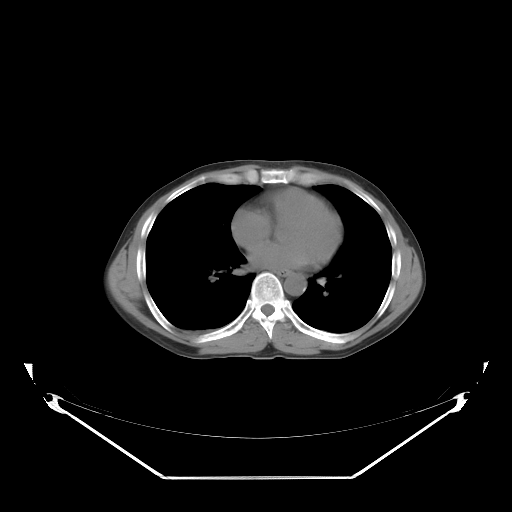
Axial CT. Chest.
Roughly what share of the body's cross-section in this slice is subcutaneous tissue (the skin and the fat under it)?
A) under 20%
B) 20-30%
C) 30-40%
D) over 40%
A) under 20%
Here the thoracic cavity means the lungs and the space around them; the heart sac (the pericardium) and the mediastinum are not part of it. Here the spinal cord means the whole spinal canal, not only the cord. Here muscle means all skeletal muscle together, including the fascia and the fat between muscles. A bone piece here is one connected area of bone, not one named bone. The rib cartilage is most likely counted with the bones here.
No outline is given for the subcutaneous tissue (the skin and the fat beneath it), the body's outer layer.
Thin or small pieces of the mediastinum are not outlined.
{"bones":[{"outer":[[262,272],[270,272],[277,277],[292,309],[307,324],[333,333],[358,329],[360,333],[344,343],[333,343],[300,331],[286,318],[284,321],[275,322],[270,339],[264,328],[249,317],[233,334],[195,342],[196,336],[221,328],[238,316],[250,295],[255,276]],"hole":[[266,304],[268,304],[269,305],[271,305],[273,307],[273,311],[270,314],[269,314],[268,315],[267,315],[266,314],[265,314],[261,310],[261,308],[262,307],[262,306],[263,306],[264,305],[265,305]]},[[273,168],[276,169],[291,169],[292,168],[299,172],[311,172],[322,175],[323,179],[321,181],[308,185],[303,185],[295,182],[258,183],[257,184],[249,184],[248,183],[227,184],[213,181],[211,178],[212,175],[222,173],[242,173],[247,169],[260,170]],[[145,292],[148,292],[150,294],[152,299],[154,301],[155,304],[157,306],[161,313],[166,318],[166,319],[174,326],[172,329],[172,332],[170,332],[165,328],[164,328],[153,316],[152,313],[150,311],[146,303],[146,301],[144,297],[144,293]],[[201,175],[205,175],[207,177],[207,178],[204,183],[199,184],[198,185],[183,192],[181,194],[180,194],[178,196],[177,196],[166,204],[165,204],[164,203],[164,201],[175,190],[176,190],[178,188],[187,184],[189,182],[190,182],[194,179],[199,177]],[[140,247],[144,247],[145,248],[145,280],[142,280],[141,281],[140,281],[139,280],[139,279],[138,278],[138,277],[137,276],[137,270],[136,269],[136,259],[137,258],[137,251],[138,250],[138,249]],[[390,282],[393,282],[395,284],[395,288],[394,289],[394,292],[393,293],[393,295],[392,296],[387,307],[385,309],[385,310],[383,312],[383,313],[378,318],[376,318],[374,315],[376,313],[376,312],[385,295],[385,293],[387,290],[387,288],[388,287]],[[349,184],[353,185],[355,187],[358,188],[360,190],[361,190],[363,192],[367,194],[380,208],[381,212],[379,214],[378,212],[371,205],[370,205],[367,202],[366,202],[363,199],[362,199],[359,196],[358,196],[351,190],[350,190],[350,188],[349,187]],[[396,250],[398,250],[400,252],[400,262],[401,263],[400,264],[400,270],[399,271],[399,275],[398,276],[398,277],[396,279],[394,279],[393,278],[392,278],[391,277],[391,266],[392,265],[392,253],[394,251],[395,251]],[[154,211],[157,213],[157,215],[153,222],[153,224],[148,233],[148,235],[147,236],[147,237],[146,238],[142,238],[141,237],[141,230],[142,229],[142,227],[143,226],[143,224],[144,223],[144,222],[146,220],[147,217],[152,212],[153,212]],[[386,223],[388,223],[392,227],[392,228],[394,230],[394,232],[395,233],[395,236],[396,237],[396,244],[394,246],[392,246],[390,243],[390,241],[389,240],[389,238],[388,237],[388,234],[387,233],[387,231],[386,230],[386,228],[385,227],[385,224]]],"muscle":[[[245,164],[272,168],[216,173],[210,176],[212,181],[209,182],[206,182],[208,177],[201,174],[175,189],[163,201],[165,205],[160,211],[152,211],[142,224],[140,237],[146,241],[145,247],[140,246],[136,251],[136,276],[140,282],[145,281],[148,290],[143,293],[145,303],[164,329],[170,333],[174,327],[209,330],[193,338],[199,344],[233,335],[251,318],[263,328],[270,340],[276,322],[287,319],[306,335],[333,344],[344,344],[356,338],[361,333],[360,328],[373,316],[378,319],[384,313],[396,288],[391,278],[396,280],[399,277],[402,263],[401,252],[398,249],[392,252],[392,247],[397,244],[395,230],[388,222],[384,224],[380,216],[381,208],[358,187],[350,183],[349,189],[333,183],[318,183],[324,179],[322,174],[292,167],[276,168],[294,165],[343,176],[358,184],[389,210],[407,243],[414,248],[421,268],[421,286],[409,307],[386,327],[350,347],[324,349],[314,354],[288,353],[271,344],[256,352],[201,354],[195,347],[148,328],[126,312],[108,288],[107,273],[143,213],[159,197],[197,175]]],"spinal_cord":[[[266,304],[268,304],[269,305],[271,305],[273,307],[273,311],[270,314],[269,314],[268,315],[267,315],[266,314],[265,314],[261,310],[261,308],[262,307],[262,306],[263,306],[264,305],[265,305]]],"pericardium":[[[284,184],[301,186],[322,195],[331,202],[341,218],[344,228],[343,241],[333,259],[331,260],[328,265],[319,271],[309,272],[298,269],[254,267],[250,265],[242,252],[236,245],[232,237],[230,226],[233,215],[236,210],[242,204],[254,198],[265,190]]],"mediastinum":[[[344,236],[344,243],[341,253],[335,262],[325,271],[311,277],[308,280],[305,291],[292,302],[285,296],[282,284],[275,274],[270,271],[262,271],[255,274],[248,272],[248,268],[246,267],[246,260],[254,268],[298,270],[309,273],[319,272],[334,259],[336,254],[344,241]],[[258,184],[283,184],[280,184],[279,185],[276,185],[275,186],[272,186],[271,187],[269,187],[268,188],[265,189],[254,197],[249,199],[247,201],[246,201],[243,203],[242,203],[250,196],[257,193],[260,190],[260,187],[259,186],[256,185],[257,185]],[[289,183],[295,183],[296,184],[302,185],[303,186],[308,186],[309,185],[313,185],[314,184],[319,184],[317,184],[314,187],[314,188],[317,191],[320,192],[325,196],[316,191],[314,191],[311,189],[309,189],[307,187],[304,187],[301,185],[289,184]]],"torso":[[[238,159],[303,159],[336,164],[365,177],[385,193],[414,233],[427,274],[426,288],[419,304],[395,331],[342,359],[288,360],[277,357],[254,360],[230,357],[200,361],[164,349],[132,329],[114,311],[103,293],[102,271],[138,206],[155,190],[196,167]]],"thoracic_cavity":[[[210,182],[227,185],[248,184],[259,187],[257,192],[250,195],[237,207],[229,226],[231,237],[245,258],[247,272],[255,275],[242,310],[230,322],[211,330],[185,329],[175,326],[167,319],[149,292],[146,282],[146,242],[158,214],[168,203],[183,193]],[[320,184],[341,186],[371,206],[379,215],[391,246],[390,280],[375,313],[359,328],[346,332],[333,332],[312,326],[304,321],[292,306],[292,303],[306,291],[309,280],[325,272],[336,262],[342,253],[345,243],[345,228],[342,218],[334,204],[315,188]]]}